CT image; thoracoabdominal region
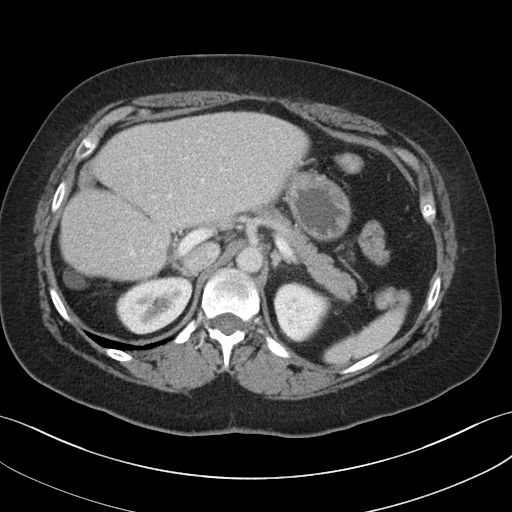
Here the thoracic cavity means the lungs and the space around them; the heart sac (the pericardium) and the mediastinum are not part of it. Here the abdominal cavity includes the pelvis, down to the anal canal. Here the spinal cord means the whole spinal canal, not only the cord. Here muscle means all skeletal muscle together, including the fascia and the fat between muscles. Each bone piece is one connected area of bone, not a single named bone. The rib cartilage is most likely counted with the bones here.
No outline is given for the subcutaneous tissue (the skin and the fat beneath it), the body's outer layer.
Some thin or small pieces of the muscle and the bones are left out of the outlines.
{"spinal_cord":[[[225,313],[230,313],[238,317],[243,322],[243,327],[241,329],[237,329],[235,330],[232,333],[230,334],[225,334],[223,333],[219,329],[214,327],[212,325],[212,322],[211,321],[218,315],[220,315],[221,314],[224,314]]],"abdominal_cavity":[[[240,100],[274,102],[317,125],[370,139],[416,183],[435,243],[425,303],[402,335],[346,367],[318,366],[274,338],[256,282],[235,267],[208,277],[200,310],[175,335],[141,345],[83,331],[50,284],[47,222],[65,197],[72,166],[94,151],[108,126]]],"thoracic_cavity":[[[88,332],[104,338],[107,338],[110,340],[113,340],[117,342],[121,342],[125,344],[131,344],[136,346],[150,344],[174,336],[170,340],[148,349],[133,349],[132,350],[126,350],[125,351],[113,347],[104,347],[100,345],[87,335],[86,333]]],"muscle":[{"outer":[[188,90],[254,91],[255,92],[267,93],[280,96],[289,96],[295,98],[300,97],[304,99],[309,99],[318,102],[342,106],[400,130],[419,144],[426,151],[437,167],[448,192],[450,201],[450,207],[455,225],[455,235],[457,240],[456,269],[446,293],[440,333],[427,347],[417,354],[411,356],[404,361],[390,368],[381,371],[377,374],[353,385],[345,387],[342,389],[339,389],[336,392],[330,392],[322,395],[297,400],[275,400],[274,399],[266,399],[262,397],[261,395],[246,389],[226,373],[219,375],[210,382],[199,387],[196,387],[190,390],[187,393],[182,392],[177,393],[176,392],[163,391],[149,386],[137,384],[107,372],[98,367],[95,364],[74,353],[56,340],[50,332],[46,329],[39,312],[39,291],[38,290],[36,267],[35,266],[35,260],[34,259],[34,253],[31,238],[33,217],[37,207],[39,198],[51,172],[58,162],[62,153],[71,142],[82,124],[97,109],[101,108],[111,102],[124,98],[133,98],[149,94],[174,92],[175,91],[187,91]],"hole":[[240,100],[274,102],[317,125],[370,139],[400,160],[418,189],[418,171],[394,148],[407,150],[427,170],[436,209],[429,225],[435,243],[435,269],[430,284],[440,277],[438,296],[429,312],[425,312],[425,303],[412,325],[363,368],[340,373],[344,367],[318,366],[291,351],[289,358],[274,354],[265,341],[265,335],[274,337],[261,310],[247,325],[244,339],[233,346],[227,370],[215,339],[207,334],[201,346],[195,348],[204,329],[202,322],[182,343],[171,339],[148,349],[126,350],[131,360],[119,361],[107,355],[105,348],[72,319],[66,321],[52,302],[46,264],[51,203],[56,188],[78,161],[74,157],[78,145],[94,125],[120,106],[135,108],[121,120],[126,121]]}],"torso":[[[194,53],[277,55],[350,69],[419,96],[453,125],[471,155],[489,205],[502,297],[499,334],[477,373],[419,406],[324,435],[291,438],[244,433],[183,436],[148,429],[73,401],[22,368],[0,322],[0,205],[18,162],[48,113],[81,81],[135,60]]],"bones":[{"outer":[[224,267],[235,268],[251,277],[260,300],[259,311],[247,325],[244,339],[231,350],[227,370],[223,366],[221,346],[215,339],[207,334],[201,346],[195,348],[199,341],[199,333],[204,329],[202,322],[186,341],[172,341],[201,310],[202,293],[209,277]],"hole":[[225,313],[230,313],[238,317],[243,322],[243,327],[241,329],[237,329],[235,330],[232,333],[230,334],[225,334],[223,333],[219,329],[214,327],[212,325],[212,322],[211,321],[218,315],[220,315],[221,314],[224,314]]},[[395,147],[400,147],[407,150],[417,159],[420,160],[424,164],[427,170],[430,188],[432,191],[434,204],[436,209],[436,215],[431,224],[429,224],[425,220],[421,211],[419,198],[418,171],[414,167],[410,166],[407,162],[404,161],[398,155],[394,150]],[[120,106],[132,106],[135,108],[135,110],[127,115],[123,119],[111,123],[104,127],[99,134],[98,142],[93,151],[90,153],[89,155],[82,157],[80,160],[77,160],[74,157],[74,154],[78,145],[82,139],[88,134],[94,125],[104,115],[111,110]],[[265,335],[269,335],[277,342],[282,344],[290,352],[290,353],[291,354],[291,356],[289,358],[285,358],[284,357],[282,357],[281,356],[276,355],[272,352],[271,352],[267,347],[267,345],[266,344],[266,342],[265,341],[265,338],[264,337],[264,336]],[[437,276],[439,276],[441,280],[441,282],[440,283],[440,289],[438,293],[438,296],[431,310],[429,312],[425,312],[425,307],[426,306],[426,299],[428,296],[428,294],[429,293],[430,288],[435,278]],[[378,351],[380,352],[379,356],[373,362],[365,366],[363,368],[361,368],[352,372],[348,372],[347,373],[340,373],[339,372],[341,370],[348,367],[355,362],[359,360],[361,360],[363,358],[365,358],[367,356],[369,356],[371,354],[373,354]],[[51,287],[54,288],[56,293],[59,295],[59,297],[60,298],[60,301],[62,305],[66,310],[69,317],[71,319],[71,321],[70,322],[68,322],[66,321],[58,313],[58,312],[56,310],[52,302],[52,300],[50,296],[50,293],[49,292],[49,289]],[[63,180],[65,180],[64,181],[64,187],[65,188],[65,193],[64,194],[64,197],[61,203],[58,204],[55,207],[55,208],[52,212],[51,211],[51,203],[52,202],[52,199],[53,198],[54,193],[56,190],[56,188],[58,186],[60,182]],[[105,348],[113,348],[114,349],[117,349],[118,350],[121,350],[122,351],[124,351],[128,353],[130,355],[131,355],[132,358],[131,360],[129,360],[128,361],[119,361],[118,360],[116,360],[110,357],[108,355],[107,355],[107,354],[105,352]]]}